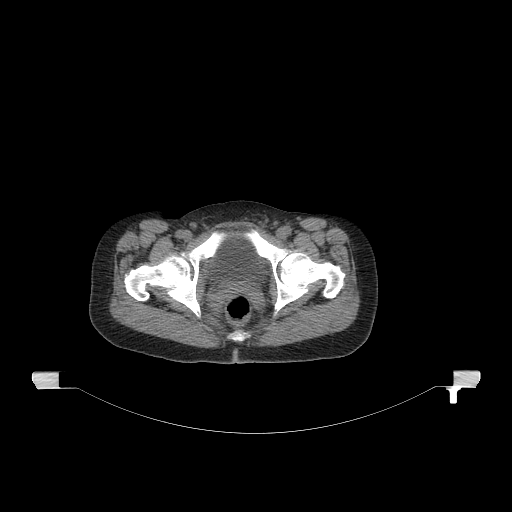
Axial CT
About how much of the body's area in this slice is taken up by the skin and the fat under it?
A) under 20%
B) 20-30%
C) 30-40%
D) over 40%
C) 30-40%
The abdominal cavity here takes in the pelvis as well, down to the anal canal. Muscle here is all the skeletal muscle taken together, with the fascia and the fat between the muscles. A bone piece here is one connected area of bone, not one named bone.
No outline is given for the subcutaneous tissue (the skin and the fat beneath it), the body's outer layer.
Outlines:
bones 1: [[215,230],[224,230],[229,234],[212,257],[199,262],[195,295],[201,310],[200,318],[184,304],[173,299],[162,286],[150,286],[148,288],[150,296],[146,301],[139,301],[126,291],[124,275],[132,268],[142,264],[156,265],[166,256],[189,251],[203,242]]
bones 2: [[250,228],[255,228],[262,237],[276,246],[305,252],[318,263],[329,261],[338,265],[345,273],[343,287],[334,297],[326,298],[321,293],[325,281],[319,279],[310,283],[307,292],[286,304],[274,316],[277,286],[271,263],[258,255],[253,245],[238,233]]
bones 3: [[236,329],[242,329],[243,330],[245,330],[246,331],[247,331],[250,334],[250,336],[249,337],[248,337],[247,338],[246,338],[242,342],[235,342],[232,340],[230,340],[227,338],[227,335],[231,331],[233,331]]
muscle: [[307,217],[335,224],[351,242],[360,302],[356,318],[342,331],[280,346],[237,343],[249,338],[246,330],[272,309],[269,276],[262,259],[270,263],[276,286],[274,317],[307,293],[310,284],[323,280],[320,293],[326,299],[334,298],[345,285],[346,273],[338,264],[318,262],[305,251],[276,245],[255,227],[237,233],[215,229],[191,249],[166,255],[156,264],[142,263],[123,275],[124,289],[135,300],[146,302],[150,287],[162,287],[200,319],[202,310],[196,295],[200,262],[209,258],[203,306],[230,331],[226,338],[234,342],[218,348],[196,347],[136,331],[110,314],[115,246],[136,221],[161,219],[173,230],[187,229],[195,235],[216,223],[236,220],[260,221],[274,232]]
abdominal cavity: [[230,234],[239,234],[252,245],[257,255],[263,258],[261,259],[265,265],[265,273],[268,276],[268,302],[271,309],[256,323],[246,329],[236,328],[229,330],[210,312],[206,311],[204,306],[206,300],[206,278],[209,272],[210,258],[216,254],[221,244]]
torso: [[229,200],[253,200],[288,211],[337,213],[362,229],[375,255],[378,305],[371,332],[357,350],[343,357],[301,362],[183,363],[117,347],[97,332],[88,314],[90,272],[97,243],[105,230],[118,219],[136,212],[163,209],[168,217],[178,218],[198,207]]